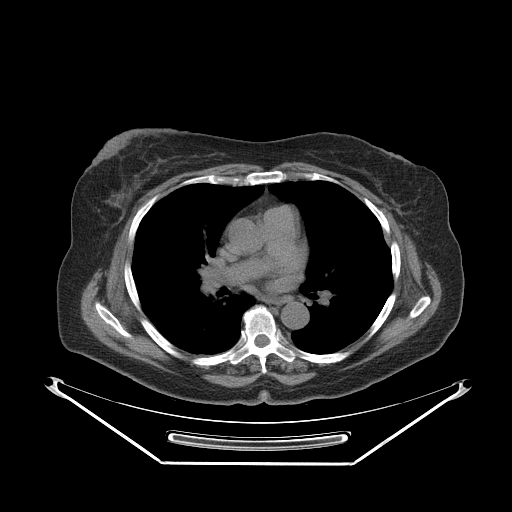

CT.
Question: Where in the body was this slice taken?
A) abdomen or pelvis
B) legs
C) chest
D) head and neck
Answer: C) chest
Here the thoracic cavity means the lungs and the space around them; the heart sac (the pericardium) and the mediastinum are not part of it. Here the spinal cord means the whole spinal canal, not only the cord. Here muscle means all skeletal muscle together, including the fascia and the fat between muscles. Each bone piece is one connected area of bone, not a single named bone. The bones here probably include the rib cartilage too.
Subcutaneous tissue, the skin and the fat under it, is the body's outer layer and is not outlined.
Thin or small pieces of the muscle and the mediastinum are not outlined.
Outlines (x, y in pixels):
bones 1: (256, 305) (269, 310) (283, 335) (299, 349) (313, 354) (338, 351) (350, 354) (337, 362) (316, 363) (299, 357) (288, 362) (270, 353) (265, 360) (265, 373) (254, 354) (236, 364) (227, 360) (215, 365) (193, 364) (191, 360) (195, 357) (231, 348) (240, 337) (244, 312), around a hole outlined by (258, 335) (264, 335) (265, 336) (266, 336) (268, 338) (268, 342) (267, 343) (267, 344) (266, 344) (265, 345) (264, 345) (263, 346) (258, 346) (255, 343) (255, 339) (256, 338) (256, 337)
bones 2: (268, 170) (280, 170) (290, 173) (316, 172) (338, 180) (345, 187) (327, 180) (291, 179) (280, 182) (262, 183) (254, 185) (231, 185) (200, 182) (186, 184) (172, 190) (182, 181) (193, 177) (208, 174) (214, 174) (218, 176) (243, 176) (250, 172) (261, 172)
bones 3: (143, 317) (145, 317) (147, 319) (148, 319) (149, 321) (154, 326) (154, 327) (168, 341) (169, 341) (173, 345) (175, 346) (176, 349) (181, 354) (181, 357) (175, 357) (173, 355) (168, 353) (152, 339) (152, 338) (146, 332) (146, 331) (144, 329) (140, 322) (140, 319)
bones 4: (392, 291) (395, 292) (396, 294) (396, 297) (395, 298) (393, 306) (389, 314) (381, 326) (377, 330) (377, 331) (370, 338) (367, 340) (365, 340) (365, 338) (366, 337) (366, 332) (367, 330) (370, 327) (372, 323) (379, 314) (387, 298)
bones 5: (97, 301) (102, 305) (106, 307) (118, 319) (123, 328) (126, 331) (127, 331) (131, 334) (132, 336) (131, 338) (129, 337) (126, 337) (122, 335) (120, 333) (119, 333) (112, 326) (111, 326) (108, 323) (105, 322) (105, 321) (98, 314) (95, 308) (95, 302)
bones 6: (155, 195) (158, 195) (159, 196) (158, 197) (158, 199) (152, 205) (152, 206) (141, 219) (138, 225) (138, 227) (136, 230) (133, 243) (130, 243) (128, 241) (129, 229) (130, 228) (132, 220) (135, 214) (137, 212) (138, 209) (142, 205) (143, 205) (149, 199) (150, 199)
bones 7: (126, 261) (130, 262) (131, 273) (133, 277) (133, 280) (134, 281) (135, 287) (137, 291) (137, 294) (139, 298) (139, 302) (140, 303) (140, 306) (141, 307) (141, 311) (139, 311) (133, 304) (128, 294) (128, 292) (126, 288) (125, 280) (124, 279) (124, 265)
bones 8: (363, 198) (366, 198) (368, 199) (380, 210) (381, 210) (381, 211) (384, 214) (384, 215) (387, 219) (387, 221) (389, 225) (389, 229) (390, 230) (390, 232) (389, 234) (386, 234) (384, 233) (379, 221) (377, 219) (375, 215) (364, 203) (364, 202) (362, 200)
bones 9: (392, 241) (395, 241) (397, 243) (397, 244) (399, 247) (399, 253) (400, 254) (400, 268) (399, 269) (399, 275) (398, 276) (396, 281) (394, 281) (394, 280) (393, 279) (393, 275) (392, 274) (392, 260) (391, 259) (391, 252) (390, 251) (390, 245) (391, 244) (391, 242)
bones 10: (424, 295) (428, 295) (430, 297) (430, 302) (429, 303) (429, 304) (417, 316) (416, 316) (413, 318) (409, 318) (408, 317) (408, 315) (409, 314) (409, 312) (410, 311) (410, 310) (413, 307) (413, 306) (415, 304) (415, 303) (417, 301) (417, 300) (420, 297) (421, 297)
pericardium: (265, 196) (278, 198) (283, 202) (289, 202) (295, 205) (301, 216) (301, 222) (303, 225) (307, 243) (307, 258) (302, 270) (302, 279) (300, 283) (291, 291) (258, 292) (243, 288) (233, 283) (223, 272) (220, 266) (219, 249) (226, 227) (241, 210) (254, 203) (259, 198)
spinal cord: (258, 335) (264, 335) (265, 336) (266, 336) (268, 338) (268, 342) (267, 343) (267, 344) (266, 344) (265, 345) (264, 345) (263, 346) (258, 346) (255, 343) (255, 339) (256, 338) (256, 337)
mediastinum 1: (220, 267) (233, 284) (252, 292) (291, 292) (299, 285) (299, 292) (309, 304) (307, 307) (309, 311) (308, 323) (304, 327) (293, 330) (290, 333) (291, 342) (278, 327) (273, 314) (265, 305) (256, 304) (252, 306) (256, 302) (255, 298) (244, 291) (232, 293) (223, 283)
mediastinum 2: (262, 184) (269, 184) (268, 185) (268, 187) (267, 188) (268, 189) (268, 191) (270, 193) (271, 193) (273, 195) (274, 195) (276, 197) (277, 197) (275, 197) (274, 196) (272, 196) (271, 195) (265, 195) (264, 196) (259, 197) (263, 193) (263, 192) (264, 191) (264, 186)
thoracic cavity 1: (200, 183) (263, 186) (262, 193) (237, 211) (227, 222) (215, 251) (222, 283) (232, 294) (244, 292) (252, 296) (255, 302) (241, 316) (243, 324) (235, 343) (222, 352) (209, 355) (196, 354) (177, 347) (155, 327) (142, 309) (131, 267) (137, 230) (153, 205) (173, 190)
thoracic cavity 2: (291, 180) (327, 181) (345, 188) (374, 215) (389, 247) (393, 280) (390, 293) (366, 331) (334, 352) (313, 353) (303, 350) (292, 342) (290, 336) (310, 321) (310, 304) (299, 290) (305, 279) (310, 247) (305, 223) (297, 206) (280, 199) (268, 188) (272, 183)
muscle: (288, 161) (300, 161) (345, 175) (394, 209) (415, 245) (418, 258) (432, 266) (442, 288) (439, 305) (423, 327) (403, 342) (362, 364) (301, 386) (285, 385) (268, 376) (262, 376) (241, 387) (191, 379) (121, 354) (93, 335) (81, 317) (82, 291) (99, 267) (104, 270) (109, 266) (113, 248) (138, 200) (149, 190) (178, 174) (227, 163) (249, 163) (265, 170) (250, 171) (243, 175) (208, 173) (193, 176) (182, 180) (159, 199) (160, 196) (155, 194) (137, 209) (128, 229) (127, 241) (133, 247) (131, 261) (126, 260) (123, 265) (123, 279) (132, 304) (147, 317) (139, 319) (145, 332) (175, 358) (182, 357) (177, 348) (201, 355) (190, 360) (193, 365) (200, 367) (215, 366) (227, 361) (236, 365) (254, 355) (258, 358) (262, 374) (267, 372) (266, 360) (270, 354) (288, 363) (299, 358) (316, 364) (333, 364) (347, 358) (351, 351) (341, 350) (364, 333) (364, 340) (370, 339) (387, 319) (397, 297) (392, 290) (400, 275) (401, 254) (395, 240) (389, 246) (386, 242) (384, 234) (389, 235) (391, 232) (388, 219) (368, 198) (363, 197) (361, 200) (334, 177) (316, 171) (271, 170) with holes at (97, 301) (102, 305) (106, 307) (118, 319) (123, 328) (126, 331) (127, 331) (131, 334) (132, 336) (131, 338) (129, 337) (126, 337) (122, 335) (120, 333) (119, 333) (112, 326) (111, 326) (108, 323) (105, 322) (105, 321) (98, 314) (95, 308) (95, 302) and at (424, 295) (428, 295) (430, 297) (430, 302) (429, 303) (429, 304) (417, 316) (416, 316) (413, 318) (409, 318) (408, 317) (408, 315) (409, 314) (409, 312) (410, 311) (410, 310) (413, 307) (413, 306) (415, 304) (415, 303) (417, 301) (417, 300) (420, 297) (421, 297)
torso: (145, 126) (252, 141) (316, 131) (347, 133) (433, 170) (446, 189) (449, 223) (462, 256) (464, 294) (456, 327) (434, 354) (382, 381) (342, 397) (296, 405) (263, 402) (225, 406) (180, 400) (67, 350) (57, 329) (56, 281) (70, 245) (74, 186) (108, 139) (124, 130)